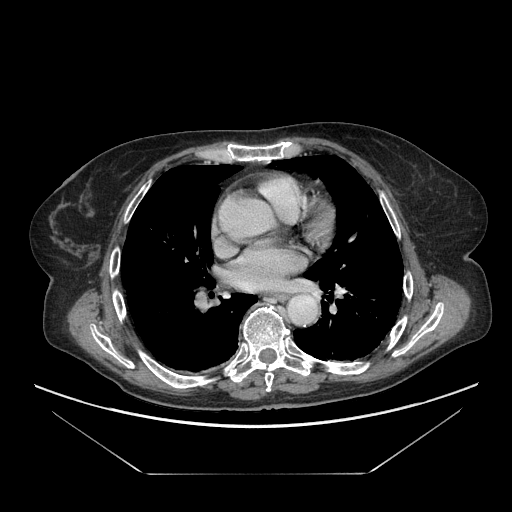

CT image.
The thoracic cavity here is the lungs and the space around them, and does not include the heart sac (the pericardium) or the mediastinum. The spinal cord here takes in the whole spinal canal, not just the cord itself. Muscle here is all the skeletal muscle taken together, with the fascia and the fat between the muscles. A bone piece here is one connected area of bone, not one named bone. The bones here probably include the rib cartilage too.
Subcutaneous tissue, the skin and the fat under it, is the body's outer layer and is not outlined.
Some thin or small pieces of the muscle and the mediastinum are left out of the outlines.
The pericardium is outlined by [[266,169],[302,174],[319,181],[329,194],[335,208],[335,232],[329,247],[319,258],[310,263],[304,271],[291,277],[279,277],[278,278],[250,277],[232,272],[219,265],[214,259],[214,253],[211,241],[211,220],[214,208],[222,191],[235,179],[251,171]]. The torso is outlined by [[311,121],[345,121],[389,131],[479,190],[488,223],[483,239],[469,256],[485,273],[492,304],[491,325],[480,341],[370,396],[246,412],[184,410],[142,401],[47,342],[42,315],[49,278],[32,255],[28,230],[38,206],[64,179],[99,153],[138,137]]. The thoracic cavity appears in 2 outlined pieces: piece 1: [[202,161],[242,168],[218,183],[220,193],[210,220],[211,268],[221,287],[230,292],[254,295],[256,301],[246,310],[239,324],[240,340],[233,354],[220,366],[208,371],[186,372],[160,363],[140,338],[123,294],[121,248],[128,224],[153,182],[172,167]]; piece 2: [[315,150],[341,157],[369,184],[396,238],[402,259],[402,296],[397,318],[379,344],[359,359],[315,357],[302,349],[292,336],[294,330],[310,328],[322,317],[322,287],[306,278],[304,273],[321,258],[333,241],[336,208],[318,177],[271,165],[273,161]]. The mediastinum appears in 2 outlined pieces: piece 1: [[214,260],[222,268],[250,278],[291,278],[304,272],[306,279],[311,279],[321,287],[319,321],[310,327],[296,328],[290,335],[285,335],[283,317],[271,307],[259,306],[244,318],[241,340],[240,324],[257,297],[251,293],[230,291],[221,286],[212,268]]; piece 2: [[271,161],[272,162],[270,165],[272,167],[281,168],[286,170],[296,170],[299,172],[307,173],[312,177],[302,173],[287,170],[278,170],[267,168],[251,170],[235,178],[221,191],[221,193],[221,187],[219,183],[243,168],[240,165],[232,164],[232,163],[258,162],[264,163]]. The spinal cord is outlined by [[267,348],[270,348],[271,349],[272,349],[275,352],[275,355],[276,356],[275,359],[272,362],[270,362],[269,363],[266,363],[265,362],[262,361],[259,358],[259,355],[260,354],[261,351],[262,350],[263,350],[264,349],[266,349]]. The bones appear in 10 outlined pieces: piece 1: [[259,307],[278,313],[284,335],[291,335],[315,358],[369,360],[359,374],[312,368],[304,376],[280,367],[272,372],[269,392],[260,369],[239,382],[227,376],[203,386],[175,388],[157,377],[136,351],[141,347],[179,374],[211,373],[236,356],[243,322]]; inner edge: [[267,348],[270,348],[271,349],[272,349],[275,352],[275,355],[276,356],[275,359],[272,362],[270,362],[269,363],[266,363],[265,362],[262,361],[259,358],[259,355],[260,354],[261,351],[262,350],[263,350],[264,349],[266,349]]; piece 2: [[280,141],[292,141],[294,143],[301,145],[302,147],[301,153],[290,158],[273,159],[270,161],[234,161],[231,163],[223,163],[204,159],[194,155],[194,153],[197,150],[204,150],[211,148],[213,149],[224,149],[229,143],[236,143],[245,145],[266,145]]; piece 3: [[439,301],[443,303],[443,313],[440,318],[439,322],[434,328],[434,329],[424,334],[405,353],[398,355],[395,357],[393,357],[391,355],[391,353],[393,350],[400,348],[411,338],[412,335],[418,330],[420,326],[426,320],[429,315],[434,310],[436,303]]; piece 4: [[93,323],[96,325],[97,329],[102,334],[104,334],[110,338],[112,342],[112,344],[121,355],[128,358],[133,362],[135,366],[133,368],[126,367],[120,363],[112,355],[105,351],[95,341],[92,336],[92,334],[90,330],[90,324],[92,324]]; piece 5: [[378,189],[381,189],[384,191],[397,217],[397,219],[398,220],[398,222],[400,226],[400,231],[401,232],[401,238],[399,240],[397,240],[397,238],[393,232],[393,230],[388,221],[388,219],[379,201],[379,198],[378,197],[378,193],[377,192],[377,190]]; piece 6: [[149,177],[151,177],[153,181],[150,187],[148,189],[148,190],[146,192],[142,199],[139,202],[129,222],[127,224],[125,224],[122,220],[122,217],[123,216],[123,214],[124,213],[124,211],[126,207],[128,205],[131,199],[140,188],[140,187],[148,179]]; piece 7: [[405,313],[407,314],[407,316],[408,317],[407,319],[407,322],[405,326],[405,328],[400,338],[398,340],[396,344],[392,348],[392,349],[388,351],[386,351],[386,347],[388,344],[388,339],[389,338],[388,336],[388,334],[391,328],[395,324],[397,319]]; piece 8: [[115,286],[116,286],[121,291],[124,298],[124,301],[125,302],[125,304],[126,305],[126,309],[127,310],[127,315],[122,322],[120,322],[118,319],[118,317],[116,314],[116,311],[113,304],[113,301],[112,300],[112,289]]; piece 9: [[115,245],[119,245],[120,246],[120,266],[119,267],[119,274],[118,275],[117,275],[113,279],[112,279],[110,277],[110,275],[109,274],[108,269],[109,268],[109,259],[110,258],[110,254],[111,253],[111,251],[112,250],[112,249],[114,247],[114,246]]; piece 10: [[404,269],[409,269],[410,270],[410,271],[411,272],[411,273],[412,274],[412,277],[413,278],[413,293],[412,294],[412,296],[411,297],[411,299],[409,301],[405,297],[405,296],[403,294],[403,275],[404,274]]. The muscle appears in 2 outlined pieces: piece 1: [[287,136],[320,137],[334,141],[352,150],[365,159],[381,175],[382,178],[391,188],[396,199],[398,201],[399,206],[408,224],[409,230],[420,261],[429,269],[445,275],[463,286],[466,289],[471,298],[471,309],[469,313],[469,317],[464,327],[455,336],[432,351],[417,359],[402,370],[384,378],[380,378],[372,381],[362,382],[361,383],[356,383],[355,382],[332,382],[331,383],[324,383],[317,389],[307,393],[291,394],[287,392],[275,392],[274,393],[269,393],[268,395],[264,396],[257,400],[239,399],[232,397],[228,394],[222,392],[195,393],[191,395],[174,395],[169,393],[164,393],[160,391],[155,391],[143,388],[140,386],[135,385],[122,378],[115,372],[110,370],[104,365],[91,358],[90,356],[76,344],[67,328],[66,324],[66,315],[67,312],[74,302],[96,279],[102,263],[103,255],[105,252],[105,249],[110,237],[110,234],[116,215],[122,203],[128,195],[132,186],[147,168],[163,157],[190,146],[203,145],[223,140],[229,140],[238,143],[246,143],[247,144],[266,144],[279,138]]; inner edges: [[280,141],[301,145],[302,153],[316,150],[335,154],[377,195],[378,189],[384,191],[400,226],[397,244],[403,268],[409,269],[413,278],[411,299],[402,295],[397,315],[407,314],[405,328],[392,349],[386,351],[387,333],[360,358],[369,360],[370,365],[359,374],[312,368],[304,376],[280,367],[272,372],[269,392],[265,371],[260,369],[239,382],[227,376],[203,386],[172,387],[142,361],[136,348],[148,351],[129,312],[120,322],[113,304],[112,289],[116,286],[122,293],[123,287],[119,274],[110,277],[109,259],[114,246],[121,248],[125,240],[128,225],[122,220],[124,211],[149,177],[154,181],[172,167],[207,161],[194,155],[197,150],[224,149],[229,143],[266,145]], then [[439,301],[443,303],[443,313],[440,318],[439,322],[434,328],[434,329],[424,334],[405,353],[398,355],[395,357],[393,357],[391,355],[391,353],[393,350],[400,348],[411,338],[412,335],[418,330],[420,326],[426,320],[429,315],[434,310],[436,303]], then [[93,323],[96,325],[97,329],[102,334],[104,334],[110,338],[112,342],[112,344],[121,355],[128,358],[133,362],[135,366],[133,368],[126,367],[120,363],[112,355],[105,351],[95,341],[92,336],[92,334],[90,330],[90,324],[92,324]]; piece 2: [[239,342],[239,346],[238,347],[238,349],[236,352],[236,354],[235,356],[228,363],[225,364],[222,367],[218,369],[216,369],[211,372],[206,372],[208,372],[218,367],[220,367],[222,365],[222,364],[225,363],[234,354],[234,353],[238,348],[238,343]].